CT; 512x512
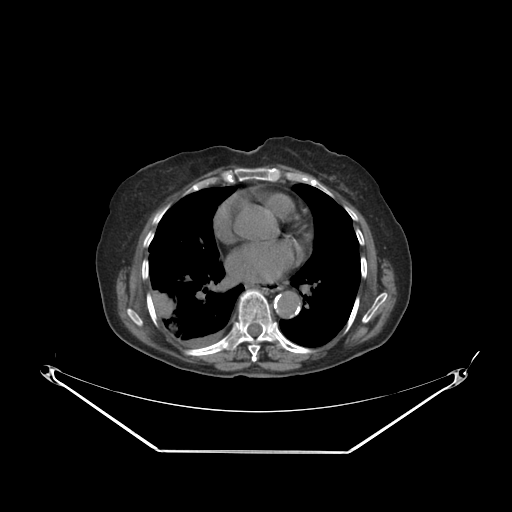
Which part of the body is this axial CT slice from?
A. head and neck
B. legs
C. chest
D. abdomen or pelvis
C. chest
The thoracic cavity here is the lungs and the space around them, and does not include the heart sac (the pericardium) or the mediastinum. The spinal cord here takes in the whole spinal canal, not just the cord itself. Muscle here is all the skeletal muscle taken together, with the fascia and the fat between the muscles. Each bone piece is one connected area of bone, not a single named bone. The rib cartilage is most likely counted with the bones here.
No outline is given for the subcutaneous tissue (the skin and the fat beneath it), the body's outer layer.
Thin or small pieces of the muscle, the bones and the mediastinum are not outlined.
Outlines:
thoracic cavity 1: 227,186 233,186 235,190 217,206 212,217 212,231 218,260 225,275 231,280 232,287 241,284 243,290 236,300 236,317 227,332 213,343 187,348 174,340 159,321 148,281 148,249 159,222 181,198 208,187
thoracic cavity 2: 297,183 310,185 337,202 352,220 359,245 360,280 345,325 329,341 315,347 300,345 288,339 280,330 278,322 295,318 304,305 302,294 297,287 291,284 291,278 303,266 313,251 313,216 306,202 292,189
pericardium: 259,185 279,185 290,189 299,197 308,208 313,224 313,239 311,243 311,251 307,259 287,277 275,281 243,281 232,277 224,266 224,263 221,258 220,250 216,242 213,231 213,217 218,206 232,196 237,189
spinal cord: 252,323 256,323 257,324 258,324 261,327 261,331 260,332 260,333 257,336 256,336 255,337 254,337 253,336 252,336 248,332 248,327
bones 1: 251,289 258,290 266,298 272,318 278,323 282,334 297,345 313,349 313,352 292,352 281,347 277,341 261,342 254,362 246,342 238,344 234,349 205,355 187,355 183,352 220,340 237,317 239,296 with a hole at 252,323 256,323 257,324 258,324 261,327 261,331 260,332 260,333 257,336 256,336 255,337 254,337 253,336 252,336 248,332 248,327
bones 2: 261,166 275,167 282,172 296,172 315,178 333,194 333,198 310,184 292,181 283,176 276,181 250,179 234,183 226,182 220,178 215,184 182,196 193,184 210,177 219,177 226,170 232,170 237,167 255,168
bones 3: 382,292 386,292 387,293 387,297 386,299 384,301 384,302 383,302 379,306 379,307 375,312 374,315 369,320 369,321 368,321 366,323 363,323 361,321 361,319 363,315 370,308 375,298 380,293
bones 4: 357,294 359,296 359,306 358,307 358,309 357,310 357,312 356,313 355,318 348,331 346,333 343,334 343,329 346,325 346,323 349,318 349,316 352,310 352,308 353,307 353,305 355,301 355,298
bones 5: 148,292 150,293 151,295 151,299 152,300 152,302 153,303 153,305 156,312 156,315 157,316 158,326 156,326 153,323 151,319 151,317 149,314 149,312 148,311 148,308 147,307 147,304 146,303 146,294
bones 6: 127,308 131,308 135,312 136,312 136,313 140,317 140,318 142,320 142,321 143,322 143,324 141,326 138,326 129,317 129,316 127,314 127,312 126,311 126,310 127,309
bones 7: 167,204 170,204 170,207 164,213 164,214 162,216 162,217 158,222 158,223 157,224 157,225 154,225 152,223 152,221 153,220 153,218 154,217 154,216 156,214 156,213 157,213 161,209 162,209
bones 8: 360,255 364,255 364,256 365,257 365,258 366,259 366,262 367,263 367,274 366,275 366,277 364,279 363,279 362,278 361,278 361,262 360,261
bones 9: 144,258 147,258 147,259 148,260 148,278 146,280 144,280 142,278 142,275 141,274 141,266 142,265 142,261 143,260 143,259
bones 10: 150,230 153,230 154,231 154,235 153,236 153,238 151,240 151,241 150,242 150,243 149,244 149,246 148,247 144,247 143,246 143,242 144,241 144,239 145,238 145,237 146,236 146,235 148,233 148,232
bones 11: 344,205 346,205 347,206 348,206 351,209 352,209 353,210 353,211 356,214 356,215 357,216 357,221 353,221 353,220 351,218 351,217 349,215 349,214 346,211 346,210 343,207 343,206
torso: 285,135 319,142 359,162 376,180 402,226 412,261 411,293 407,308 389,339 345,363 315,373 220,378 173,367 117,337 104,317 95,271 96,246 110,198 117,186 145,165 181,151 212,145 247,151 269,137
muscle 1: 229,165 238,166 222,171 219,176 210,176 193,183 182,193 182,197 171,206 167,203 152,218 151,223 156,227 155,230 150,229 143,239 142,246 148,248 147,257 142,259 140,266 141,278 148,282 150,292 145,294 145,303 152,323 158,327 159,322 174,341 186,348 182,352 187,356 198,357 234,350 238,345 246,343 253,363 258,359 257,354 263,342 277,342 281,348 292,353 311,354 315,351 312,348 326,344 342,329 342,334 346,334 360,306 358,289 361,279 367,277 368,263 365,255 360,254 360,246 365,244 364,235 353,224 358,221 357,214 348,205 342,206 338,203 327,186 360,212 371,232 376,255 380,259 386,259 393,269 396,301 385,324 376,335 331,358 303,364 294,369 277,371 253,364 243,369 224,371 184,361 159,351 129,331 117,312 116,279 119,271 131,264 137,241 149,217 169,196 195,178; inner edges: 382,292 386,292 387,293 387,297 386,299 384,301 384,302 383,302 379,306 379,307 375,312 374,315 369,320 369,321 368,321 366,323 363,323 361,321 361,319 363,315 370,308 375,298 380,293, then 127,308 131,308 135,312 136,312 136,313 140,317 140,318 142,320 142,321 143,322 143,324 141,326 138,326 129,317 129,316 127,314 127,312 126,311 126,310 127,309
muscle 2: 274,163 279,163 280,164 283,164 284,165 286,165 290,167 293,167 301,171 306,172 315,177 313,177 305,173 297,172 296,171 282,171 278,167 276,167 275,166 272,166 271,167 265,166 265,165 273,164
mediastinum: 302,265 290,278 290,284 299,290 303,305 295,317 280,319 278,321 273,318 271,306 267,298 258,289 251,288 244,290 244,286 241,283 232,286 232,280 226,275 226,271 232,278 243,282 275,282 287,278